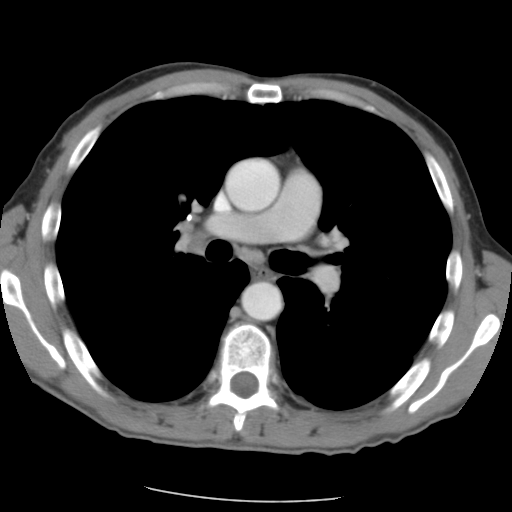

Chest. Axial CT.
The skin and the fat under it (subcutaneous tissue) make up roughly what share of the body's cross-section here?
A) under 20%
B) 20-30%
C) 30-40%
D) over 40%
Answer: A) under 20%
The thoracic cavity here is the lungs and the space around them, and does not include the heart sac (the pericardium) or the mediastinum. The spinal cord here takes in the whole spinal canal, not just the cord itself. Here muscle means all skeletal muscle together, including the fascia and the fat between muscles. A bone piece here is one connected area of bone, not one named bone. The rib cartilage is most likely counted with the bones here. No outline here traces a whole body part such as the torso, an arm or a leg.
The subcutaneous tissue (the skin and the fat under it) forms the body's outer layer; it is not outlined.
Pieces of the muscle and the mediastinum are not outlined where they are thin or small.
{"muscle":[[[189,69],[259,81],[241,93],[217,81],[174,84],[103,130],[100,123],[90,128],[69,156],[66,172],[73,174],[61,202],[51,201],[41,218],[41,238],[55,241],[56,263],[43,267],[45,293],[54,310],[65,302],[69,308],[77,331],[64,326],[61,338],[87,383],[109,398],[98,381],[105,377],[145,402],[175,400],[201,384],[207,393],[199,407],[231,407],[239,432],[249,411],[281,409],[275,389],[282,384],[334,411],[385,393],[389,413],[425,380],[432,360],[416,356],[426,340],[437,349],[447,341],[455,312],[443,306],[463,274],[462,256],[452,247],[454,200],[446,175],[429,151],[422,154],[359,97],[316,87],[285,98],[277,83],[263,81],[308,76],[365,87],[420,123],[458,178],[474,258],[480,262],[489,250],[511,262],[503,322],[487,313],[462,355],[407,407],[414,413],[498,333],[470,395],[404,431],[347,446],[215,443],[106,423],[24,366],[5,304],[23,313],[60,369],[66,362],[37,327],[20,278],[6,267],[0,271],[2,214],[19,203],[32,209],[64,134],[92,109]]],"thoracic_cavity":[[[193,95],[333,101],[392,122],[423,156],[450,224],[447,291],[381,395],[319,407],[272,363],[277,282],[311,276],[327,252],[324,190],[290,139],[232,163],[194,224],[206,261],[249,276],[202,382],[140,400],[93,359],[56,260],[63,196],[121,114]]],"mediastinum":[{"outer":[[290,140],[323,190],[318,226],[321,245],[326,252],[311,275],[284,275],[277,280],[284,308],[275,328],[275,345],[253,323],[236,323],[223,332],[231,307],[249,281],[249,270],[241,260],[206,260],[195,224],[218,192],[232,164],[249,156],[282,152]],"hole":[[286,153],[291,153],[298,160],[300,164],[313,177],[319,187],[320,202],[316,216],[310,222],[295,227],[269,231],[253,231],[252,232],[240,231],[236,228],[234,224],[234,215],[229,210],[229,200],[232,187],[237,175],[250,161],[256,157],[281,156]]}],"pericardium":[[[286,153],[291,153],[298,160],[300,164],[313,177],[319,187],[320,202],[316,216],[310,222],[295,227],[269,231],[253,231],[252,232],[240,231],[236,228],[234,224],[234,215],[229,210],[229,200],[232,187],[237,175],[250,161],[256,157],[281,156]]],"spinal_cord":[[[240,372],[248,372],[249,373],[251,373],[256,378],[256,379],[257,380],[257,389],[253,393],[252,393],[249,396],[248,396],[247,397],[242,397],[241,396],[240,396],[239,395],[238,395],[237,394],[236,394],[231,389],[231,379],[236,374],[237,374]]],"bones":[{"outer":[[246,323],[260,328],[271,342],[271,363],[282,382],[274,389],[278,395],[280,409],[275,410],[262,405],[249,410],[242,428],[236,431],[233,424],[236,411],[231,406],[221,403],[212,407],[200,407],[208,393],[202,383],[218,360],[222,334],[236,324]],"hole":[[240,372],[248,372],[249,373],[251,373],[256,378],[256,379],[257,380],[257,389],[253,393],[252,393],[249,396],[248,396],[247,397],[242,397],[241,396],[240,396],[239,395],[238,395],[237,394],[236,394],[231,389],[231,379],[236,374],[237,374]]},[[190,82],[222,83],[228,85],[232,92],[241,94],[255,82],[277,84],[282,91],[284,99],[276,103],[268,102],[260,104],[250,103],[239,95],[222,95],[220,98],[209,95],[193,94],[146,101],[145,100],[149,96],[158,90],[163,90],[174,85]],[[489,313],[493,313],[499,318],[501,323],[499,332],[485,344],[476,347],[464,361],[450,373],[445,383],[436,394],[424,402],[414,412],[409,413],[409,405],[415,400],[426,395],[436,385],[441,372],[447,366],[455,362],[463,355],[469,347],[480,322]],[[64,327],[68,327],[71,329],[73,329],[78,333],[79,336],[85,344],[92,359],[104,376],[103,379],[98,379],[97,381],[108,393],[109,397],[105,397],[98,393],[88,383],[70,358],[65,348],[63,342],[63,339],[62,338],[62,329]],[[5,268],[8,269],[19,278],[23,300],[31,314],[36,327],[42,336],[49,343],[52,344],[62,356],[65,362],[65,368],[63,369],[60,368],[58,364],[52,358],[47,349],[41,343],[32,330],[24,313],[18,307],[4,303],[0,290],[0,272]],[[426,356],[431,360],[431,364],[430,365],[429,372],[427,374],[424,380],[406,401],[405,401],[394,410],[389,412],[385,412],[384,411],[384,409],[391,401],[391,400],[386,394],[386,392],[403,376],[403,375],[410,368],[410,367],[415,361]],[[316,88],[337,90],[359,98],[361,100],[372,105],[383,115],[383,117],[371,112],[368,112],[365,110],[360,109],[357,107],[346,105],[343,103],[340,103],[333,100],[319,99],[318,98],[303,99],[303,97],[299,94],[301,94],[308,90]],[[424,152],[429,152],[436,159],[445,175],[445,177],[451,193],[451,196],[453,200],[453,212],[451,214],[448,214],[438,195],[438,193],[434,185],[433,180],[431,177],[430,172],[428,169],[427,164],[425,161],[425,159],[423,155],[423,153]],[[49,262],[54,262],[57,265],[61,279],[61,282],[62,283],[62,286],[63,287],[63,291],[65,295],[65,301],[62,303],[58,303],[54,309],[52,307],[47,296],[45,289],[45,285],[44,284],[44,277],[43,276],[44,267],[45,265]],[[99,124],[102,126],[102,130],[97,139],[95,141],[94,144],[88,152],[87,155],[78,166],[76,170],[73,173],[68,173],[67,172],[67,166],[68,165],[68,162],[69,161],[70,156],[75,147],[77,145],[78,142],[90,129]],[[444,308],[450,308],[453,310],[454,312],[454,320],[453,321],[453,325],[452,326],[451,331],[446,341],[440,348],[437,348],[437,346],[435,344],[433,344],[432,343],[429,343],[427,341],[427,337],[439,313],[441,311],[441,310]],[[51,202],[60,202],[61,203],[61,215],[60,216],[59,227],[58,228],[58,231],[57,232],[57,236],[55,240],[44,240],[42,238],[42,234],[41,233],[41,224],[42,223],[42,218],[43,217],[43,215],[44,214],[44,212],[46,208]],[[452,248],[454,249],[456,249],[459,252],[461,256],[461,260],[462,261],[462,274],[461,275],[461,280],[460,281],[460,283],[459,284],[458,289],[456,291],[456,292],[455,292],[452,289],[448,287],[448,283],[446,280],[446,265],[447,264],[447,258]]]}